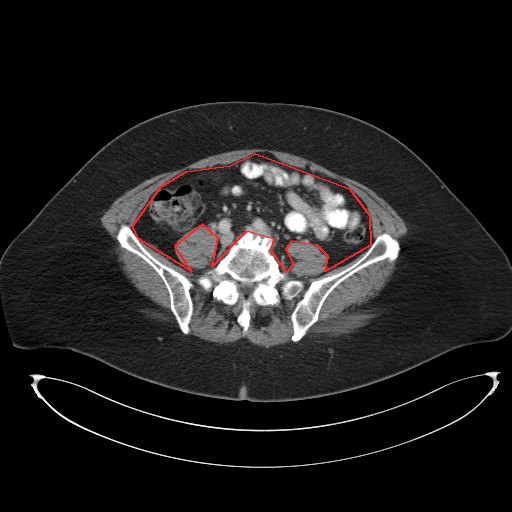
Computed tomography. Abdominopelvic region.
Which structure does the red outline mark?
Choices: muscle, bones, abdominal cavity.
red: abdominal cavity.
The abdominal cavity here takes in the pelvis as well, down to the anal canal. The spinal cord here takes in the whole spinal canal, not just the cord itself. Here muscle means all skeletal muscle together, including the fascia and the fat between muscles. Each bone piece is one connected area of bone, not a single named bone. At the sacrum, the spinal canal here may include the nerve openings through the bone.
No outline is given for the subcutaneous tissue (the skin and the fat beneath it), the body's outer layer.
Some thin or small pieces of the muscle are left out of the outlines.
The abdominal cavity is outlined by [[255,153],[349,188],[369,215],[370,245],[325,271],[328,256],[317,245],[291,241],[285,249],[293,264],[286,272],[271,250],[274,239],[246,231],[212,266],[218,238],[202,224],[174,246],[191,271],[139,239],[132,226],[161,186],[186,171],[230,165]]. The torso is outlined by [[233,100],[295,103],[331,109],[369,122],[409,147],[468,207],[507,255],[511,264],[511,331],[495,341],[455,348],[369,385],[320,397],[276,402],[197,395],[140,379],[70,349],[15,347],[0,293],[0,257],[12,239],[90,157],[126,129],[180,107]]. The bones appear in 2 outlined pieces: piece 1: [[246,232],[271,237],[285,279],[300,280],[305,288],[353,264],[382,233],[396,239],[400,251],[396,259],[371,263],[339,283],[300,340],[291,339],[291,314],[302,292],[281,296],[274,305],[254,303],[244,336],[237,321],[241,303],[217,300],[197,279]] with a hole at [[241,283],[251,283],[252,284],[254,284],[254,286],[253,287],[253,289],[252,290],[252,291],[248,295],[245,295],[244,294],[243,294],[241,292],[241,291],[240,290],[240,284]]; piece 2: [[123,224],[127,225],[132,230],[151,255],[161,263],[184,275],[192,283],[193,285],[189,289],[189,292],[193,304],[193,311],[188,325],[188,334],[183,333],[179,328],[170,308],[168,291],[158,273],[141,257],[122,247],[117,240],[116,235],[120,226]]. The spinal cord is outlined by [[241,283],[251,283],[252,284],[254,284],[254,286],[253,287],[253,289],[252,290],[252,291],[248,295],[245,295],[244,294],[243,294],[241,292],[241,291],[240,290],[240,284]]. The muscle appears in 4 outlined pieces: piece 1: [[252,148],[301,156],[367,186],[404,221],[407,232],[401,245],[387,232],[377,235],[371,244],[373,231],[368,210],[360,197],[345,184],[325,174],[284,164],[268,152],[255,152],[230,164],[186,170],[161,185],[148,199],[131,228],[123,223],[115,235],[122,248],[141,258],[157,273],[167,291],[169,308],[178,328],[144,316],[138,308],[150,302],[120,268],[110,236],[101,225],[100,218],[115,199],[146,179],[210,155]]; piece 2: [[202,225],[214,230],[217,244],[210,263],[213,267],[200,275],[196,282],[206,292],[211,290],[212,297],[217,301],[230,306],[240,303],[236,321],[244,337],[250,326],[250,309],[254,304],[274,306],[281,297],[291,300],[302,293],[290,314],[291,342],[264,347],[245,338],[216,343],[189,334],[194,311],[190,292],[193,283],[184,274],[157,259],[140,240],[176,265],[194,272],[193,268],[179,260],[175,246],[184,234]]; piece 3: [[398,257],[395,270],[389,281],[370,302],[370,305],[378,310],[379,312],[379,315],[373,321],[360,329],[338,337],[301,340],[306,335],[308,330],[318,321],[319,314],[324,302],[330,293],[339,284],[353,274],[371,264],[383,260],[392,262],[396,260]]; piece 4: [[302,240],[306,240],[317,246],[327,256],[327,268],[324,271],[325,272],[345,265],[365,252],[358,259],[345,268],[327,276],[314,278],[305,287],[304,282],[300,279],[286,279],[287,272],[294,264],[294,259],[290,256],[286,248],[291,242],[298,242]].